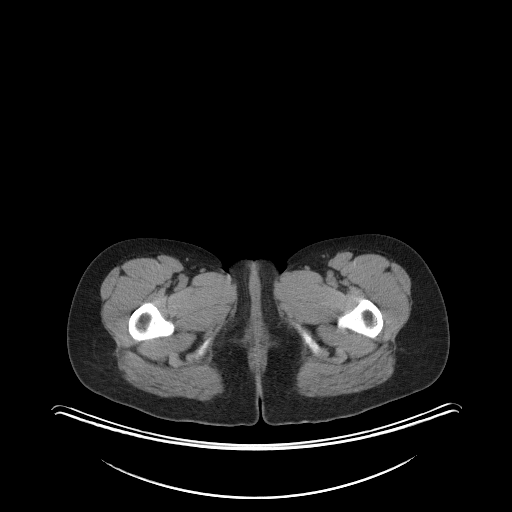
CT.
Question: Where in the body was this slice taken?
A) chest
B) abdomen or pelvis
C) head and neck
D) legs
Answer: B) abdomen or pelvis
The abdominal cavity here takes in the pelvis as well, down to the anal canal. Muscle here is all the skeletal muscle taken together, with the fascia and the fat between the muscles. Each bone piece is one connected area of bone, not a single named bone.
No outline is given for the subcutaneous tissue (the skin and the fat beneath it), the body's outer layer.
The torso is outlined by (362, 233) (407, 243) (442, 293) (448, 358) (422, 390) (326, 422) (269, 425) (260, 417) (249, 426) (216, 426) (165, 420) (116, 403) (85, 387) (72, 369) (66, 325) (73, 294) (91, 260) (115, 242) (167, 238) (200, 246) (225, 266) (242, 257) (283, 266) (309, 244). The bones appear in 4 outlined pieces: piece 1: (144, 302) (152, 302) (157, 307) (161, 314) (167, 320) (170, 320) (173, 323) (174, 325) (174, 331) (172, 334) (168, 336) (161, 336) (160, 337) (156, 337) (141, 341) (135, 340) (130, 335) (128, 330) (128, 320) (129, 317) (132, 312); piece 2: (360, 298) (366, 298) (373, 302) (378, 307) (382, 314) (382, 318) (383, 319) (383, 326) (380, 332) (374, 338) (370, 338) (360, 333) (355, 332) (348, 328) (340, 328) (338, 327) (337, 325) (337, 319) (338, 317) (345, 312) (347, 312) (351, 310) (358, 303); piece 3: (297, 326) (299, 326) (303, 330) (304, 330) (308, 334) (309, 334) (311, 336) (311, 337) (316, 342) (317, 342) (317, 343) (320, 347) (320, 351) (318, 353) (315, 353) (311, 350) (311, 349) (308, 346) (308, 345) (303, 339) (303, 338) (301, 335) (301, 333) (299, 331); piece 4: (206, 339) (209, 339) (210, 340) (209, 341) (209, 343) (208, 344) (208, 345) (207, 346) (207, 347) (205, 349) (205, 350) (204, 351) (204, 352) (201, 355) (200, 355) (199, 356) (196, 356) (196, 350) (202, 344) (202, 343). The muscle appears in 3 outlined pieces: piece 1: (344, 249) (369, 249) (387, 254) (395, 259) (406, 271) (411, 280) (411, 311) (408, 320) (396, 336) (394, 371) (386, 381) (359, 392) (336, 396) (307, 397) (299, 394) (294, 389) (295, 376) (301, 364) (302, 347) (297, 336) (280, 317) (273, 297) (273, 284) (288, 269), around holes outlined by (360, 298) (366, 298) (373, 302) (378, 307) (382, 314) (382, 318) (383, 319) (383, 326) (380, 332) (374, 338) (370, 338) (360, 333) (355, 332) (348, 328) (340, 328) (338, 327) (337, 325) (337, 319) (338, 317) (345, 312) (347, 312) (351, 310) (358, 303) and by (297, 326) (299, 326) (303, 330) (304, 330) (308, 334) (309, 334) (311, 336) (311, 337) (316, 342) (317, 342) (317, 343) (320, 347) (320, 351) (318, 353) (315, 353) (311, 350) (311, 349) (308, 346) (308, 345) (303, 339) (303, 338) (301, 335) (301, 333) (299, 331); piece 2: (152, 252) (170, 255) (204, 271) (223, 274) (236, 284) (237, 302) (235, 310) (212, 347) (211, 361) (221, 372) (225, 390) (211, 400) (200, 401) (184, 397) (162, 397) (149, 393) (127, 382) (118, 369) (114, 355) (115, 342) (101, 320) (100, 286) (109, 271) (122, 259); inner edges: (144, 302) (152, 302) (157, 307) (161, 314) (167, 320) (170, 320) (173, 323) (174, 325) (174, 331) (172, 334) (168, 336) (161, 336) (160, 337) (156, 337) (141, 341) (135, 340) (130, 335) (128, 330) (128, 320) (129, 317) (132, 312), then (206, 339) (209, 339) (210, 340) (209, 341) (209, 343) (208, 344) (208, 345) (207, 346) (207, 347) (205, 349) (205, 350) (204, 351) (204, 352) (201, 355) (200, 355) (199, 356) (196, 356) (196, 350) (202, 344) (202, 343); piece 3: (256, 343) (260, 343) (262, 344) (266, 348) (266, 364) (265, 365) (265, 367) (263, 371) (262, 370) (261, 371) (255, 371) (253, 369) (252, 370) (250, 368) (250, 366) (249, 365) (249, 360) (248, 359) (248, 355) (249, 354) (249, 351) (250, 350) (250, 348) with a hole at (258, 345) (259, 346) (261, 346) (261, 347) (262, 348) (263, 348) (263, 361) (262, 362) (262, 365) (261, 366) (261, 367) (254, 367) (254, 366) (253, 365) (253, 364) (252, 363) (252, 349) (254, 347) (255, 347) (256, 346) (257, 346). The abdominal cavity is outlined by (258, 345) (259, 346) (261, 346) (261, 347) (262, 348) (263, 348) (263, 361) (262, 362) (262, 365) (261, 366) (261, 367) (254, 367) (254, 366) (253, 365) (253, 364) (252, 363) (252, 349) (254, 347) (255, 347) (256, 346) (257, 346).